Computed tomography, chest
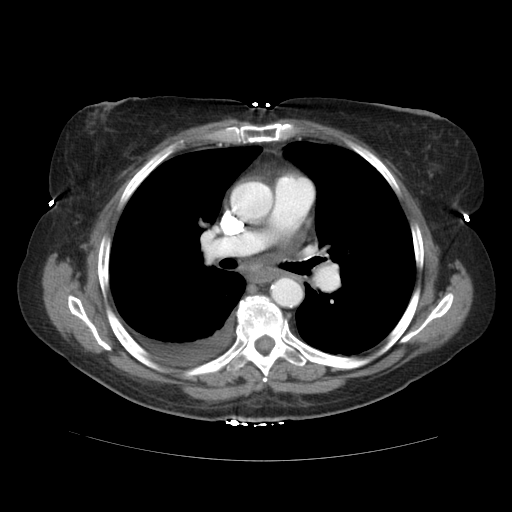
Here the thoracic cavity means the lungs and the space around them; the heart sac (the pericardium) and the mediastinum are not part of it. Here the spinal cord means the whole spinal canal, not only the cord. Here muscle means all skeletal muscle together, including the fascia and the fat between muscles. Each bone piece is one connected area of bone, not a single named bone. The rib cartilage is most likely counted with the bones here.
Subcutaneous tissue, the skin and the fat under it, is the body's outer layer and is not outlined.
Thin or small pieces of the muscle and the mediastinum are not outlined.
{"thoracic_cavity":[[[210,143],[234,145],[254,143],[261,148],[260,153],[225,191],[213,223],[213,243],[229,269],[241,275],[245,287],[234,311],[235,338],[231,345],[221,354],[203,363],[180,365],[152,357],[121,322],[110,290],[110,252],[122,211],[146,177],[171,156]],[[296,141],[333,143],[358,154],[387,182],[409,224],[416,268],[412,293],[402,315],[387,335],[374,346],[357,354],[325,352],[306,343],[299,336],[295,316],[306,295],[306,266],[308,260],[318,253],[318,237],[315,222],[315,184],[284,156],[284,148]]],"muscle":[{"outer":[[227,118],[252,123],[207,131],[199,138],[211,142],[173,155],[184,145],[181,138],[148,159],[119,197],[117,209],[122,210],[112,239],[107,233],[100,239],[98,283],[105,300],[110,291],[119,317],[107,303],[106,317],[132,357],[159,372],[164,369],[152,358],[195,366],[183,371],[187,378],[224,367],[236,371],[251,362],[264,383],[279,358],[298,367],[311,362],[351,370],[365,366],[397,342],[406,343],[451,307],[454,295],[447,292],[418,327],[405,333],[420,298],[421,286],[414,287],[416,271],[424,266],[424,242],[418,223],[409,223],[400,204],[402,193],[394,175],[357,142],[344,137],[346,147],[298,135],[303,129],[297,124],[270,122],[280,118],[307,119],[352,134],[395,166],[439,247],[436,287],[440,290],[449,283],[449,265],[455,259],[472,280],[472,303],[459,330],[440,347],[388,372],[354,378],[327,392],[274,392],[268,387],[213,403],[169,385],[133,380],[66,341],[51,322],[42,298],[48,256],[55,251],[60,258],[69,256],[83,272],[92,227],[118,188],[117,176],[168,136]],"hole":[[69,295],[73,295],[78,298],[81,301],[81,303],[83,306],[83,308],[88,318],[95,326],[96,330],[99,336],[111,347],[111,350],[106,350],[102,346],[101,346],[97,342],[89,327],[79,317],[73,314],[70,311],[68,307],[68,296]]},[[383,340],[384,340],[384,343],[373,354],[371,354],[370,355],[365,355],[364,356],[359,356],[358,355],[355,355],[357,355],[358,354],[359,354],[364,351],[366,351],[367,350],[368,350],[369,349],[370,349],[371,348],[374,347]]],"pericardium":[[[278,157],[299,170],[307,176],[314,184],[316,193],[315,194],[313,229],[310,237],[305,242],[303,246],[294,253],[287,255],[266,255],[265,254],[251,253],[239,245],[220,226],[220,217],[224,213],[224,200],[230,187],[243,174],[253,169],[258,164]]],"torso":[[[156,95],[268,108],[294,97],[347,98],[425,109],[460,126],[484,177],[480,208],[460,217],[480,237],[495,274],[487,330],[385,398],[299,420],[169,414],[74,367],[30,330],[16,293],[33,228],[56,201],[48,191],[51,156],[62,127],[82,107]]],"bones":[{"outer":[[417,286],[419,298],[405,334],[447,293],[453,295],[450,307],[365,365],[342,369],[307,361],[298,366],[279,357],[265,382],[251,361],[236,370],[224,366],[184,374],[232,345],[235,311],[245,296],[267,296],[291,332],[311,347],[364,357],[385,343]],"hole":[[265,335],[266,336],[268,336],[270,338],[271,338],[272,339],[272,340],[273,341],[273,346],[271,348],[271,349],[267,353],[262,353],[261,352],[260,352],[258,350],[257,350],[257,349],[255,346],[255,342],[259,338],[260,338],[262,336],[264,336]]},[[270,123],[292,123],[301,127],[302,130],[299,134],[286,139],[281,139],[275,141],[262,141],[261,142],[234,144],[224,142],[212,142],[209,140],[200,138],[202,135],[207,132],[220,128],[224,128],[228,126],[241,126],[247,124],[253,124],[261,126]],[[106,304],[107,304],[111,308],[127,332],[133,338],[133,339],[149,354],[151,359],[156,362],[163,369],[163,371],[159,371],[145,365],[132,356],[125,349],[125,348],[120,343],[111,328],[111,326],[109,323],[109,321],[107,317],[107,314],[106,313]],[[181,139],[182,139],[184,142],[183,145],[180,146],[173,153],[169,155],[167,158],[157,165],[139,184],[132,193],[126,202],[125,205],[121,209],[118,209],[118,204],[119,203],[120,197],[130,179],[140,169],[140,168],[156,153],[169,144],[178,141]],[[344,138],[349,139],[355,143],[357,143],[359,145],[366,148],[374,154],[386,166],[393,175],[399,187],[401,193],[401,196],[400,197],[398,197],[396,195],[395,192],[392,189],[384,177],[367,160],[358,153],[349,148],[344,143],[343,141]],[[105,234],[107,234],[111,239],[110,251],[109,252],[109,261],[108,262],[109,289],[107,291],[106,298],[105,299],[102,294],[102,291],[101,290],[100,284],[99,283],[98,273],[97,272],[97,263],[98,262],[98,254],[99,253],[100,242],[102,237]],[[69,295],[73,295],[78,298],[81,301],[81,303],[83,306],[83,308],[88,318],[95,326],[96,330],[99,336],[111,347],[111,350],[106,350],[102,346],[101,346],[97,342],[89,327],[79,317],[73,314],[70,311],[68,307],[68,296]],[[412,221],[413,222],[417,223],[420,229],[421,237],[422,238],[422,241],[423,242],[423,266],[421,269],[419,269],[416,267],[416,262],[415,261],[415,253],[414,252],[414,246],[413,245],[413,238],[412,237],[411,229],[410,228],[410,223]]],"spinal_cord":[[[265,335],[266,336],[268,336],[270,338],[271,338],[272,339],[272,340],[273,341],[273,346],[271,348],[271,349],[267,353],[262,353],[261,352],[260,352],[258,350],[257,350],[257,349],[255,346],[255,342],[259,338],[260,338],[262,336],[264,336]]],"mediastinum":[[[227,190],[219,226],[251,254],[294,254],[311,237],[314,220],[317,253],[307,260],[304,272],[307,278],[304,283],[305,295],[294,316],[299,338],[292,332],[281,309],[267,295],[248,294],[242,297],[246,287],[244,278],[230,269],[214,243],[214,223]],[[295,136],[319,138],[329,142],[320,143],[306,140],[296,140],[288,143],[283,148],[283,156],[299,169],[278,156],[258,163],[256,166],[246,171],[238,177],[253,160],[261,153],[262,148],[259,145],[256,145],[255,143],[275,142],[281,140],[286,140]]]}